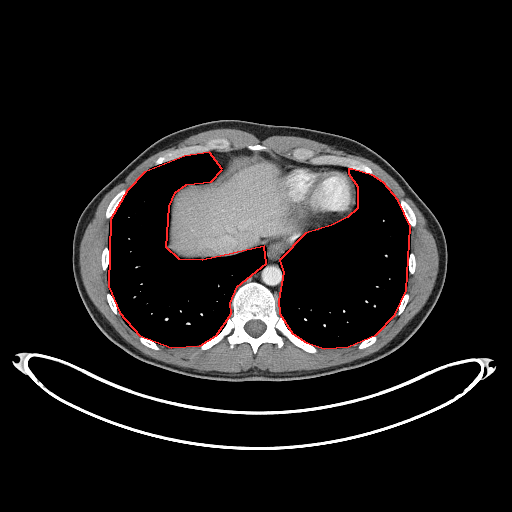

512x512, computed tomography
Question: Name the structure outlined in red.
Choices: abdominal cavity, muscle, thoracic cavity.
Answer: red: thoracic cavity.
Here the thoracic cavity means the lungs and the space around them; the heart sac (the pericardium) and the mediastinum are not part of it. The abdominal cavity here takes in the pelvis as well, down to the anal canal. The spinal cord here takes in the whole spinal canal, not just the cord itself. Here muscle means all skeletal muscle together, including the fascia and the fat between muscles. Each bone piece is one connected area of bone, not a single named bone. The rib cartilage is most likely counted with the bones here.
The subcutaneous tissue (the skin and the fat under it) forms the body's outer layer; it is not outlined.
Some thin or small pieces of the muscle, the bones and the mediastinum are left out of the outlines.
{"thoracic_cavity":[[[171,347],[200,345],[216,335],[231,313],[230,303],[237,286],[266,263],[264,246],[202,260],[179,259],[166,247],[169,206],[175,192],[186,184],[211,181],[222,169],[209,152],[184,156],[144,172],[127,190],[110,219],[108,286],[119,312],[139,335]],[[324,348],[348,346],[376,334],[395,314],[406,290],[410,226],[398,200],[383,182],[372,175],[352,169],[348,169],[348,173],[357,186],[357,208],[347,217],[331,225],[305,233],[279,260],[283,272],[278,300],[279,313],[292,333],[306,342]]],"pericardium":[[[311,229],[319,229],[325,225],[331,224],[347,216],[353,211],[357,206],[355,202],[356,186],[353,179],[341,170],[331,168],[308,167],[307,166],[300,166],[290,164],[284,167],[277,181],[276,195],[280,199],[282,207],[291,219],[299,225]]],"abdominal_cavity":[[[184,259],[233,255],[277,237],[286,237],[295,243],[302,234],[310,230],[291,220],[275,195],[275,184],[285,165],[280,158],[270,151],[253,151],[246,155],[240,155],[229,160],[222,173],[211,182],[186,185],[176,192],[170,206],[167,247],[174,255]]],"bones":[{"outer":[[254,353],[264,342],[274,343],[281,347],[283,336],[308,352],[315,353],[317,348],[291,333],[278,313],[277,300],[265,286],[249,281],[236,289],[231,303],[232,313],[223,329],[202,344],[200,348],[207,349],[226,336],[231,348],[235,344],[247,342]],"hole":[[254,337],[256,337],[257,336],[260,335],[264,331],[264,330],[265,329],[265,325],[264,324],[264,323],[263,323],[261,321],[260,321],[259,320],[251,320],[250,321],[247,322],[245,325],[245,329],[246,330],[246,331],[250,335],[251,335]]},[[369,174],[372,174],[373,171],[367,164],[359,160],[353,159],[350,157],[337,156],[331,154],[316,154],[312,150],[306,148],[295,148],[292,151],[292,158],[298,161],[308,161],[314,164],[333,164],[334,165],[342,165]],[[154,165],[157,165],[160,163],[184,155],[187,155],[188,154],[193,154],[199,152],[205,152],[211,150],[222,150],[226,148],[230,143],[226,138],[213,138],[208,140],[203,144],[196,144],[195,145],[184,146],[177,149],[174,149],[158,157],[154,162]],[[108,219],[110,218],[113,212],[115,210],[115,209],[119,204],[120,201],[122,199],[123,196],[125,194],[126,192],[126,190],[125,189],[122,189],[120,191],[119,191],[110,201],[107,207],[106,212],[105,213],[105,216],[106,218]],[[411,227],[414,227],[416,224],[416,221],[415,220],[415,215],[414,214],[412,209],[409,206],[409,205],[404,200],[401,199],[399,201],[400,202],[400,205],[401,206],[401,208],[402,209],[402,211],[403,212],[405,217],[407,219],[408,222],[410,224]],[[103,270],[106,270],[107,269],[107,266],[108,265],[108,262],[109,261],[109,252],[108,251],[108,248],[107,247],[107,246],[105,246],[104,247],[104,248],[103,249],[103,250],[102,251],[102,253],[101,254],[101,264],[102,265],[102,268],[103,269]],[[360,349],[361,349],[362,348],[364,348],[365,347],[367,347],[371,344],[372,344],[374,342],[375,342],[375,341],[376,340],[376,335],[374,335],[371,337],[369,337],[368,338],[363,340],[361,342],[360,342],[358,345],[358,348],[359,348]],[[156,350],[159,349],[159,346],[156,343],[155,343],[154,342],[153,342],[152,341],[151,341],[144,337],[142,337],[141,336],[140,336],[139,337],[139,339],[140,340],[140,341],[144,345],[145,345],[150,348],[152,348],[153,349],[155,349]],[[397,315],[400,314],[404,309],[404,308],[405,307],[405,306],[406,305],[406,304],[409,299],[409,295],[408,294],[408,293],[405,293],[405,294],[403,296],[403,297],[402,298],[402,299],[399,304],[399,307],[398,308],[398,310],[396,313],[396,314]],[[115,314],[119,314],[119,313],[118,312],[117,307],[115,304],[115,302],[114,301],[112,296],[110,294],[110,293],[109,292],[108,292],[106,295],[106,296],[107,297],[107,300],[108,301],[108,303],[109,304],[109,305],[110,306],[112,311]],[[410,274],[412,274],[414,272],[414,270],[415,269],[415,256],[414,255],[414,254],[412,252],[411,252],[410,253],[410,254],[409,255],[409,263],[408,264],[408,269],[409,270],[409,273]]],"muscle":[{"outer":[[232,373],[236,373],[241,370],[246,370],[251,367],[257,367],[260,369],[267,369],[273,372],[282,372],[283,371],[292,371],[293,370],[310,370],[311,369],[324,368],[352,361],[355,359],[369,355],[384,346],[402,329],[423,306],[432,290],[438,271],[439,257],[438,256],[438,251],[435,243],[435,240],[431,233],[431,231],[426,222],[425,218],[414,202],[397,181],[380,166],[361,156],[349,154],[344,151],[338,150],[326,144],[307,138],[303,138],[297,136],[280,136],[279,135],[275,135],[274,136],[270,136],[263,140],[260,140],[254,135],[242,130],[231,129],[230,128],[221,128],[220,129],[208,130],[192,135],[181,141],[177,145],[162,150],[152,155],[138,165],[104,196],[99,203],[83,234],[83,237],[81,240],[80,248],[79,249],[79,265],[80,266],[80,272],[82,280],[85,289],[95,306],[113,326],[116,331],[127,342],[140,350],[143,353],[153,358],[167,363],[183,367],[189,367],[197,370],[203,370],[204,371],[217,370],[218,371],[231,372]],"hole":[[254,353],[264,342],[281,347],[283,336],[311,353],[318,347],[354,343],[361,349],[375,342],[376,334],[404,309],[407,277],[415,269],[410,251],[415,215],[367,164],[306,148],[295,148],[291,160],[260,144],[210,153],[230,143],[213,138],[158,157],[110,201],[105,213],[110,220],[108,245],[101,254],[108,276],[106,296],[112,311],[140,341],[156,350],[159,344],[199,345],[203,350],[226,336],[231,348],[247,342]]}],"torso":[[[222,381],[306,379],[368,364],[405,343],[433,309],[447,270],[443,230],[402,175],[366,145],[338,134],[296,126],[235,119],[203,122],[172,132],[152,143],[109,181],[82,211],[73,235],[72,269],[81,300],[97,327],[117,346],[146,363],[188,376]]],"mediastinum":[[[277,299],[278,299],[278,293],[282,281],[282,272],[279,267],[278,260],[279,257],[286,249],[292,247],[295,244],[286,238],[277,238],[262,245],[267,247],[266,265],[261,270],[248,277],[240,284],[249,280],[254,280],[260,282],[265,285],[274,294]],[[222,171],[223,170],[223,166],[224,164],[229,159],[237,155],[239,155],[240,154],[246,154],[252,151],[247,149],[241,149],[240,150],[235,150],[234,151],[229,151],[228,152],[211,153],[213,156],[213,158],[215,160],[218,161],[222,165],[223,167]],[[347,173],[347,168],[343,168],[342,167],[332,167],[331,166],[314,166],[313,165],[308,164],[303,164],[302,163],[298,163],[293,160],[275,154],[280,157],[284,161],[286,165],[290,163],[294,163],[300,165],[308,166],[316,166],[317,167],[331,167],[332,168],[341,169]]],"spinal_cord":[[[254,337],[256,337],[257,336],[260,335],[264,331],[264,330],[265,329],[265,325],[264,324],[264,323],[263,323],[261,321],[260,321],[259,320],[251,320],[250,321],[247,322],[245,325],[245,329],[246,330],[246,331],[250,335],[251,335]]]}